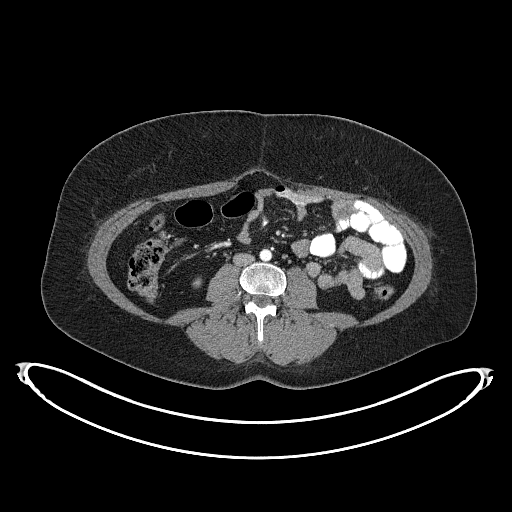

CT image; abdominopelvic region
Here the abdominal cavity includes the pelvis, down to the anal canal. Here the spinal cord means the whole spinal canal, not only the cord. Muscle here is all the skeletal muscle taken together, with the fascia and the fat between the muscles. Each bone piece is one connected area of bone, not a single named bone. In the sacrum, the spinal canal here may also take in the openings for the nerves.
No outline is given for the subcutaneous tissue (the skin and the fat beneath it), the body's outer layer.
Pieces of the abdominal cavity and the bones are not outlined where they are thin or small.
The torso is outlined by 208 389; 226 389; 257 379; 290 389; 322 387; 381 369; 462 334; 477 299; 475 253; 465 209; 444 173; 403 141; 360 122; 326 114; 184 112; 132 125; 92 147; 73 167; 60 193; 40 279; 44 309; 56 327; 95 351; 151 375. The spinal cord is outlined by 261 307; 263 307; 265 305; 266 305; 267 304; 268 304; 269 303; 271 303; 272 302; 272 298; 271 297; 269 297; 268 296; 266 296; 265 295; 252 295; 251 296; 251 298; 253 300; 253 301; 257 305; 258 305; 259 306; 260 306. The bones are outlined by 259 343; 263 341; 264 317; 268 314; 273 316; 276 314; 279 297; 284 293; 286 286; 286 278; 285 273; 281 268; 270 263; 254 262; 242 270; 239 277; 239 282; 242 289; 245 292; 243 304; 245 312; 251 312; 256 316; 257 340; inner edge: 261 307; 263 307; 265 305; 266 305; 267 304; 268 304; 269 303; 271 303; 272 302; 272 298; 271 297; 269 297; 268 296; 266 296; 265 295; 252 295; 251 296; 251 298; 253 300; 253 301; 257 305; 258 305; 259 306; 260 306. The muscle is outlined by 281 366; 297 366; 307 364; 326 351; 335 341; 338 334; 344 330; 352 327; 363 327; 380 323; 403 311; 411 305; 426 290; 432 278; 433 259; 431 246; 429 243; 429 237; 431 235; 429 229; 416 222; 405 211; 396 207; 388 201; 382 200; 363 192; 343 191; 321 185; 296 181; 289 177; 280 176; 261 166; 252 167; 238 175; 232 176; 225 180; 194 185; 159 193; 145 198; 140 198; 116 210; 104 220; 97 222; 97 228; 87 250; 86 267; 93 282; 112 302; 120 308; 141 319; 158 324; 178 327; 184 332; 194 345; 214 359; 226 360; 235 364; 239 364; 247 361; 257 352; 260 351; 264 352; 270 361 with a hole at 259 343; 264 317; 276 314; 292 265; 306 269; 320 310; 364 319; 393 303; 414 264; 403 232; 363 198; 325 196; 262 172; 225 192; 158 203; 138 216; 108 252; 116 286; 166 317; 209 304; 209 280; 223 263; 233 263. The abdominal cavity is outlined by 359 319; 389 306; 407 286; 414 259; 403 232; 363 198; 325 196; 262 172; 245 176; 225 192; 154 205; 114 239; 106 259; 116 286; 162 317; 209 304; 209 280; 223 263; 241 271; 261 261; 284 271; 292 265; 305 268; 320 310.